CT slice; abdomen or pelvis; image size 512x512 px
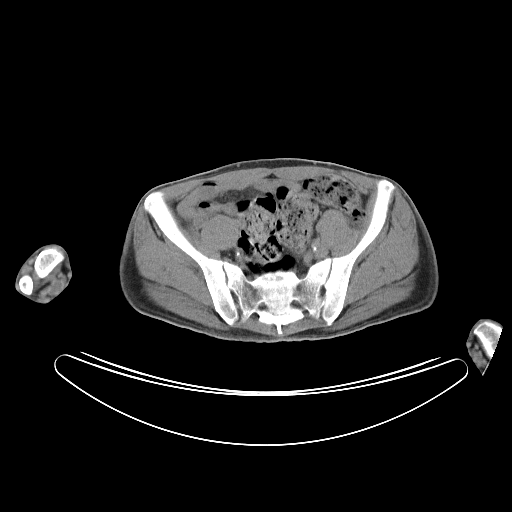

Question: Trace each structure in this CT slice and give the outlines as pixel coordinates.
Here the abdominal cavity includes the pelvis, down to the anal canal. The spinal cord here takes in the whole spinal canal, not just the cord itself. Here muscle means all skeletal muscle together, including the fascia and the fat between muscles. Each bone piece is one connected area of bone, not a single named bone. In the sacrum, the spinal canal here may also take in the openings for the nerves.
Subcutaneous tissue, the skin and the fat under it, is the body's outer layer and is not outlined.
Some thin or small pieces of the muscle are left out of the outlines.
Answer: torso: 275 157; 299 157; 335 162; 364 171; 383 174; 396 180; 414 202; 434 245; 439 285; 432 305; 422 311; 368 326; 342 336; 319 340; 269 343; 219 339; 150 317; 132 308; 120 289; 118 261; 130 217; 144 192; 155 185; 227 163
bones 1: 382 178; 394 185; 386 218; 352 266; 339 315; 327 325; 305 311; 283 325; 281 335; 255 313; 244 322; 226 323; 199 265; 143 206; 160 190; 190 243; 210 258; 238 265; 249 279; 277 270; 303 277; 314 263; 344 255; 357 244
bones 2: 486 320; 487 321; 491 321; 499 325; 501 327; 501 331; 499 335; 499 338; 497 341; 497 343; 495 347; 495 350; 494 351; 494 353; 491 359; 486 355; 480 340; 474 333; 474 329; 476 327; 476 326; 481 322; 483 321; 485 321
bones 3: 48 247; 55 247; 58 250; 61 251; 64 255; 64 258; 63 260; 61 262; 57 264; 54 267; 54 268; 45 277; 40 278; 38 276; 38 275; 36 273; 34 269; 34 262; 35 261; 36 256; 43 249; 45 248; 47 248
bones 4: 23 275; 29 275; 31 277; 31 278; 32 279; 32 281; 33 282; 33 288; 32 289; 32 292; 31 293; 31 294; 25 294; 24 293; 23 293; 20 290; 20 289; 19 288; 19 280; 20 279; 20 278; 21 277; 21 276; 22 276
left arm: 485 317; 493 318; 499 321; 502 324; 502 326; 501 327; 501 331; 499 335; 499 338; 495 347; 494 353; 485 372; 482 375; 475 366; 467 352; 467 349; 466 348; 466 339; 468 336; 469 330; 471 328; 472 325; 478 319; 484 318
right arm: 48 243; 57 243; 61 245; 66 250; 69 256; 72 275; 68 285; 63 291; 59 294; 59 295; 47 303; 38 303; 32 300; 30 300; 26 298; 23 295; 20 294; 15 289; 14 282; 15 281; 16 274; 20 266; 26 258; 38 247
spinal cord 1: 294 300; 295 300; 295 301; 296 302; 297 302; 298 303; 299 304; 299 305; 299 306; 298 306; 297 306; 296 306; 295 305; 294 305; 293 304; 292 304; 292 303; 292 302; 293 301
spinal cord 2: 262 302; 263 302; 264 303; 264 304; 265 305; 265 306; 264 307; 263 307; 262 308; 261 308; 260 308; 259 307; 259 306; 260 305; 261 304; 261 303
abdominal cavity: 272 174; 290 179; 339 174; 367 194; 358 226; 350 225; 336 209; 321 214; 315 228; 330 256; 311 264; 303 276; 293 269; 277 269; 249 278; 220 253; 237 244; 233 218; 216 214; 194 231; 183 225; 174 206; 206 180; 232 190
muscle 1: 395 185; 415 218; 418 276; 407 298; 363 320; 283 336; 273 336; 241 328; 223 330; 167 310; 142 290; 133 250; 142 202; 161 232; 198 265; 214 310; 229 326; 255 314; 274 325; 277 334; 281 336; 282 335; 283 334; 282 327; 301 320; 305 312; 330 326; 344 308; 357 258; 386 221
muscle 2: 297 165; 324 166; 381 178; 375 183; 376 194; 364 232; 348 252; 336 256; 331 256; 331 250; 322 243; 316 224; 324 212; 336 210; 350 226; 358 227; 366 214; 368 199; 367 193; 339 173; 305 178; 281 177; 272 173; 232 189; 204 180; 173 206; 182 225; 194 232; 199 233; 213 216; 233 219; 237 241; 233 247; 219 251; 223 259; 210 257; 191 243; 180 229; 160 189; 230 170
muscle 3: 35 256; 33 262; 33 269; 40 279; 45 278; 57 265; 62 262; 61 270; 65 275; 65 281; 58 291; 52 295; 48 295; 43 298; 38 297; 36 295; 32 295; 34 288; 34 282; 32 277; 29 274; 21 275; 22 270; 24 267
muscle 4: 476 338; 477 338; 479 340; 485 355; 489 359; 490 359; 490 361; 489 362; 489 363; 486 366; 482 366; 481 365; 480 365; 477 362; 477 360; 476 359; 476 356; 474 353; 474 346; 476 343; 476 340; 477 339